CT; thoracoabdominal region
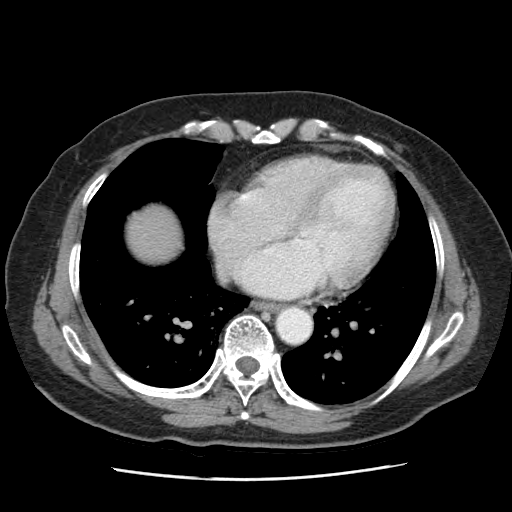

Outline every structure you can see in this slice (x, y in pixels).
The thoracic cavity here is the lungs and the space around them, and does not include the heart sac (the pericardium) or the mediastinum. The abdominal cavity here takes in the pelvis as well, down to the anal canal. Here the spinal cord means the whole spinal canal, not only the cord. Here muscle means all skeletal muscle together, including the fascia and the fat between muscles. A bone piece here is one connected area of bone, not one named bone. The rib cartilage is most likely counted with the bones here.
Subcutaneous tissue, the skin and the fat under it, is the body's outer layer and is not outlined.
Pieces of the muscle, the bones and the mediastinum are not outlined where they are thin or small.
The mediastinum appears in 4 outlined pieces: piece 1: 348 293; 345 297; 336 297; 319 305; 313 315; 313 331; 309 339; 305 343; 287 351; 282 355; 276 350; 272 333; 256 315; 251 313; 240 314; 233 317; 229 321; 233 316; 239 314; 248 305; 250 301; 249 297; 278 302; 309 302; piece 2: 290 136; 309 142; 323 138; 363 146; 398 170; 395 174; 396 191; 388 170; 364 150; 344 143; 299 142; 274 145; 256 153; 231 173; 216 193; 210 181; 224 148; 219 143; 200 139; 212 139; 219 143; 242 139; 253 144; 272 145; piece 3: 207 248; 209 251; 209 254; 211 257; 211 260; 213 263; 213 267; 215 270; 217 278; 223 283; 226 284; 228 286; 231 286; 235 288; 241 293; 238 293; 235 291; 228 290; 216 283; 211 271; 211 266; 210 265; 210 263; 206 257; piece 4: 398 206; 398 209; 399 210; 399 218; 398 219; 398 226; 397 227; 396 234; 393 239; 389 243; 385 252; 382 256; 382 254; 386 249; 386 247; 388 245; 390 240; 392 238; 392 235; 394 233; 394 229; 396 226; 396 220; 398 217. The thoracic cavity appears in 2 outlined pieces: piece 1: 171 137; 199 139; 219 144; 223 148; 209 181; 215 193; 206 220; 205 257; 215 283; 248 297; 249 301; 223 327; 219 345; 204 374; 191 383; 166 387; 132 377; 108 354; 83 302; 80 291; 80 255; 88 205; 109 174; 138 148, around a hole outlined by 150 202; 161 202; 171 208; 175 212; 179 219; 181 227; 183 230; 184 245; 185 246; 183 252; 176 259; 165 265; 160 265; 154 267; 144 265; 136 261; 126 249; 123 239; 123 227; 126 217; 128 214; 134 210; 137 210; 145 204; piece 2: 399 171; 419 198; 433 246; 435 280; 427 315; 410 351; 382 386; 353 401; 317 403; 298 394; 288 384; 282 370; 282 356; 310 339; 314 331; 314 315; 319 306; 336 298; 345 298; 356 290; 378 265; 396 236; 399 226; 396 179. The pericardium is outlined by 299 143; 354 146; 381 164; 389 173; 395 186; 397 217; 393 233; 381 256; 369 273; 357 287; 347 293; 309 301; 278 301; 246 295; 235 287; 223 282; 217 276; 208 248; 206 232; 212 204; 217 192; 231 174; 256 154; 274 146. The abdominal cavity is outlined by 150 202; 161 202; 171 208; 175 212; 179 219; 181 227; 183 230; 184 245; 185 246; 183 252; 176 259; 165 265; 160 265; 154 267; 144 265; 136 261; 126 249; 123 239; 123 227; 126 217; 128 214; 134 210; 137 210; 145 204. The spinal cord is outlined by 245 356; 249 356; 250 357; 255 359; 258 363; 258 368; 257 369; 257 370; 256 370; 254 372; 251 373; 248 376; 245 376; 245 375; 240 370; 239 370; 236 366; 236 362; 237 361; 237 360; 238 359; 239 359; 242 357; 244 357. The bones appear in 8 outlined pieces: piece 1: 245 314; 259 318; 271 333; 290 388; 322 406; 323 411; 286 403; 270 381; 258 387; 244 406; 239 393; 223 374; 199 397; 150 396; 126 386; 106 362; 110 359; 123 372; 148 385; 173 388; 191 384; 211 366; 224 327; 233 318; inner edge: 245 356; 249 356; 250 357; 255 359; 258 363; 258 368; 257 369; 257 370; 256 370; 254 372; 251 373; 248 376; 245 376; 245 375; 240 370; 239 370; 236 366; 236 362; 237 361; 237 360; 238 359; 239 359; 242 357; 244 357; piece 2: 290 117; 300 122; 318 118; 336 131; 370 138; 383 147; 387 159; 359 143; 326 135; 316 140; 302 140; 295 130; 272 144; 253 143; 240 137; 219 142; 205 135; 185 136; 181 132; 183 126; 193 120; 230 122; 239 119; 267 128; piece 3: 428 316; 431 318; 432 321; 431 328; 426 343; 419 357; 404 378; 397 385; 397 386; 380 401; 370 406; 369 403; 384 390; 384 385; 397 371; 411 351; 421 331; 421 329; 426 320; 426 318; piece 4: 456 311; 459 311; 463 314; 463 321; 460 327; 458 329; 454 336; 451 339; 451 340; 445 343; 432 355; 431 355; 426 359; 425 358; 425 352; 427 350; 427 348; 442 332; 447 323; 448 319; 450 317; 450 316; 454 312; piece 5: 429 213; 435 218; 435 220; 438 225; 438 228; 441 235; 442 243; 443 244; 444 263; 443 264; 443 274; 441 278; 439 278; 436 274; 435 252; 434 251; 432 236; 431 235; 431 232; 428 223; 428 219; 427 218; 427 215; piece 6: 77 241; 80 241; 80 244; 81 245; 81 247; 80 248; 80 254; 79 255; 79 291; 80 292; 80 297; 78 300; 76 300; 75 299; 73 292; 71 289; 70 281; 69 280; 69 272; 68 271; 70 251; 73 244; piece 7: 65 324; 68 325; 78 336; 81 343; 83 345; 84 348; 86 350; 87 353; 89 355; 91 359; 91 361; 92 362; 92 364; 91 365; 89 365; 85 363; 76 355; 75 355; 67 344; 64 338; 63 333; 62 332; 62 326; piece 8: 105 171; 108 172; 108 175; 106 177; 106 178; 104 180; 104 181; 102 183; 102 184; 100 186; 98 190; 95 193; 93 197; 90 200; 87 206; 86 207; 83 207; 82 205; 82 202; 83 201; 83 197; 89 185; 101 173. The muscle is outlined by 182 125; 184 136; 145 143; 88 185; 81 202; 87 207; 81 239; 72 244; 68 255; 73 297; 78 301; 81 295; 111 358; 105 362; 126 387; 150 397; 195 399; 223 375; 244 407; 258 388; 270 382; 286 404; 323 412; 319 404; 353 402; 383 386; 368 403; 373 406; 398 386; 431 332; 428 311; 436 275; 441 279; 444 274; 444 244; 436 218; 426 214; 410 182; 371 138; 409 163; 429 190; 453 234; 461 265; 468 268; 479 289; 480 326; 469 353; 431 380; 375 405; 348 427; 304 434; 243 421; 231 426; 178 427; 64 373; 39 345; 32 315; 44 276; 49 268; 51 276; 55 270; 68 210; 115 150, around holes outlined by 456 311; 459 311; 463 314; 463 321; 460 327; 458 329; 454 336; 451 339; 451 340; 445 343; 432 355; 431 355; 426 359; 425 358; 425 352; 427 350; 427 348; 442 332; 447 323; 448 319; 450 317; 450 316; 454 312 and by 65 324; 68 325; 78 336; 81 343; 83 345; 84 348; 86 350; 87 353; 89 355; 91 359; 91 361; 92 362; 92 364; 91 365; 89 365; 85 363; 76 355; 75 355; 67 344; 64 338; 63 333; 62 332; 62 326 and by 243 410; 245 410; 248 413; 248 414; 249 415; 249 417; 247 419; 246 419; 245 420; 243 420; 242 419; 241 419; 240 418; 240 414; 241 413; 241 412. The torso is outlined by 287 89; 343 96; 421 131; 455 159; 490 206; 511 248; 511 273; 499 334; 474 389; 391 435; 307 449; 136 440; 92 426; 55 406; 38 390; 18 351; 6 313; 4 283; 13 234; 30 195; 55 159; 103 120; 149 100; 189 93.